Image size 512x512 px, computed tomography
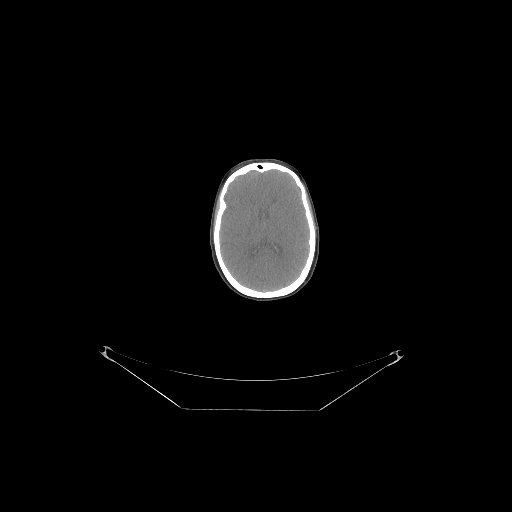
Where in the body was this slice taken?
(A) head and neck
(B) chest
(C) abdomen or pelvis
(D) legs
(A) head and neck
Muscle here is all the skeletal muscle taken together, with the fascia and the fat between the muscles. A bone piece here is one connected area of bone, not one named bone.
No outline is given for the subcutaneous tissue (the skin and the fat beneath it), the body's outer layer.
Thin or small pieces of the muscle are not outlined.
{"bones":[{"outer":[[255,162],[278,163],[291,169],[297,174],[306,190],[306,197],[312,214],[316,233],[314,257],[309,272],[303,282],[288,294],[269,298],[248,296],[232,286],[226,279],[219,266],[213,244],[213,226],[216,212],[219,207],[218,198],[225,180],[238,168]],"hole":[[270,170],[287,174],[293,180],[299,190],[299,197],[308,230],[308,247],[304,263],[296,277],[287,284],[280,287],[261,290],[243,284],[231,272],[222,255],[220,230],[222,217],[227,207],[225,196],[230,184],[236,178],[243,176],[251,171],[263,173]]}],"brain":[[[270,170],[287,174],[293,180],[299,190],[299,197],[308,230],[308,247],[304,263],[296,277],[287,284],[280,287],[261,290],[243,284],[231,272],[222,255],[220,230],[222,217],[227,207],[225,196],[230,184],[236,178],[243,176],[251,171],[263,173]]],"muscle":[[[307,193],[307,194],[308,195],[308,197],[309,198],[309,200],[310,201],[310,203],[311,204],[311,207],[312,208],[312,211],[313,212],[313,216],[314,217],[314,221],[314,218],[313,217],[313,214],[311,211],[311,208],[309,205],[309,202],[308,201],[308,198],[307,197]]],"head":[[[250,158],[277,158],[295,166],[307,182],[313,198],[319,222],[320,250],[319,258],[313,277],[299,293],[289,299],[282,301],[255,302],[238,297],[232,293],[221,281],[214,268],[210,255],[208,230],[212,204],[218,184],[224,173],[230,167],[242,160]]]}